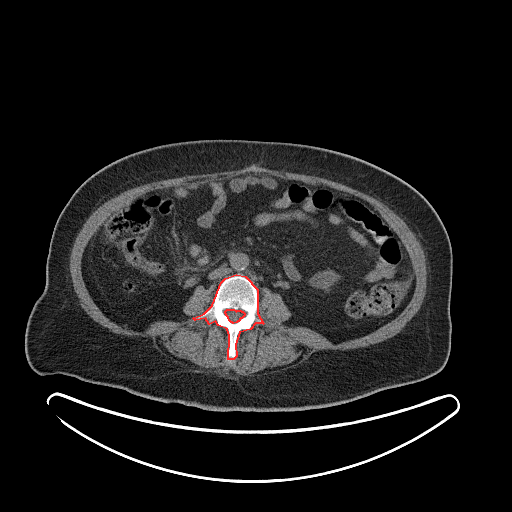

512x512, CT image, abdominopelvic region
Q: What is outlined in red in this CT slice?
A: red: bones.
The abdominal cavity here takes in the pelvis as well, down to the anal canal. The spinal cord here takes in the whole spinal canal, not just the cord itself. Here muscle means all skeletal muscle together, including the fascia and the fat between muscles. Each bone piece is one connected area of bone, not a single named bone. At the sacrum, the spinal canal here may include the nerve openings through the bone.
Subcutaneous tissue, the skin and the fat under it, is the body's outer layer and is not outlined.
Outlines:
bones: (236, 274) (245, 276) (257, 289) (257, 313) (263, 323) (255, 323) (250, 329) (239, 332) (235, 344) (236, 356) (233, 359) (228, 359) (229, 335) (227, 329) (218, 325) (215, 321) (209, 324) (205, 318) (195, 320) (193, 318) (204, 313) (212, 305) (221, 282) (225, 278), around a hole outlined by (227, 309) (233, 309) (236, 311) (237, 310) (240, 310) (241, 311) (242, 311) (244, 313) (244, 315) (241, 318) (240, 318) (238, 321) (237, 321) (236, 322) (233, 323) (232, 322) (231, 322) (229, 320) (228, 317) (226, 315) (226, 314) (225, 313) (225, 311)
spinal cord: (227, 309) (233, 309) (236, 311) (237, 310) (240, 310) (241, 311) (242, 311) (244, 313) (244, 315) (241, 318) (240, 318) (238, 321) (237, 321) (236, 322) (233, 323) (232, 322) (231, 322) (229, 320) (228, 317) (226, 315) (226, 314) (225, 313) (225, 311)
abdominal cavity: (247, 173) (328, 186) (373, 206) (411, 262) (415, 283) (405, 307) (373, 331) (334, 343) (287, 325) (292, 313) (282, 296) (263, 287) (259, 298) (236, 273) (214, 297) (211, 286) (198, 285) (182, 320) (139, 331) (110, 319) (82, 274) (84, 250) (106, 219) (150, 191)
torso: (195, 139) (283, 141) (323, 147) (367, 161) (421, 194) (439, 216) (453, 257) (451, 347) (444, 367) (421, 381) (346, 403) (268, 412) (210, 411) (148, 399) (69, 375) (33, 371) (25, 356) (26, 323) (44, 289) (50, 239) (69, 198) (87, 178) (119, 158) (153, 146)
muscle: (252, 164) (257, 164) (261, 167) (272, 170) (282, 170) (306, 175) (314, 175) (342, 183) (354, 189) (357, 189) (364, 193) (378, 198) (404, 220) (409, 228) (415, 234) (424, 250) (426, 257) (427, 275) (426, 276) (426, 292) (423, 302) (421, 304) (419, 310) (405, 325) (401, 331) (388, 339) (374, 344) (371, 344) (365, 347) (358, 347) (347, 350) (332, 350) (331, 349) (318, 350) (312, 353) (304, 361) (302, 361) (295, 366) (281, 372) (273, 373) (264, 376) (247, 377) (242, 375) (237, 375) (232, 370) (229, 370) (227, 372) (223, 371) (221, 372) (195, 371) (196, 370) (195, 369) (189, 368) (184, 365) (181, 365) (179, 363) (174, 362) (169, 359) (163, 353) (155, 348) (152, 345) (152, 342) (149, 339) (144, 339) (141, 337) (137, 338) (127, 337) (116, 334) (111, 332) (107, 328) (102, 326) (89, 316) (81, 307) (79, 303) (79, 298) (73, 288) (73, 283) (69, 270) (69, 260) (71, 249) (77, 234) (81, 229) (86, 219) (95, 209) (107, 200) (114, 197) (121, 192) (139, 185) (159, 180) (181, 177) (186, 175) (195, 175) (196, 174) (205, 174) (221, 171) (236, 170) with a hole at (247, 173) (328, 186) (373, 206) (411, 262) (405, 307) (334, 343) (287, 325) (282, 296) (263, 287) (263, 323) (239, 332) (233, 359) (227, 329) (193, 319) (212, 305) (211, 286) (194, 289) (179, 321) (139, 331) (110, 319) (82, 274) (84, 250) (106, 219) (150, 191)